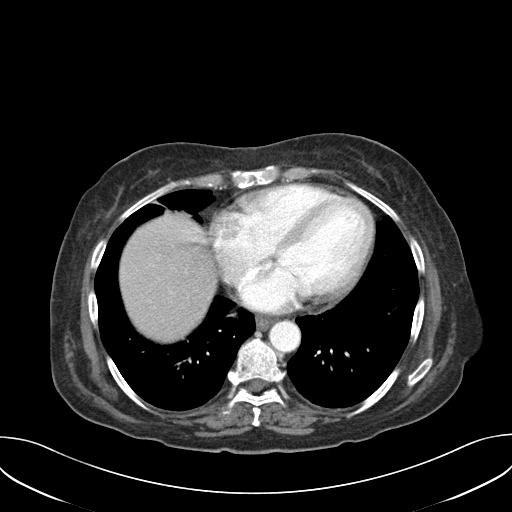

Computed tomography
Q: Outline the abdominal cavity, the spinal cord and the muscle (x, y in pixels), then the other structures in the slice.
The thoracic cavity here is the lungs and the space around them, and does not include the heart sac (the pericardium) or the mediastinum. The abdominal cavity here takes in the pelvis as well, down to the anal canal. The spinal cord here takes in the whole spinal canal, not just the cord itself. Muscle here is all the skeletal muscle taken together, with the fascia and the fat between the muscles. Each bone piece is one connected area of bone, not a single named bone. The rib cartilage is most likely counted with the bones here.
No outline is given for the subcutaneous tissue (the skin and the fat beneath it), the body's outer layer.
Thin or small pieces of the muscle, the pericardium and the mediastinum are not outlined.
A: The abdominal cavity is outlined by 168 210; 181 210; 186 212; 191 215; 196 222; 205 226; 207 249; 221 279; 219 281; 219 290; 221 293; 213 298; 205 317; 186 339; 170 344; 159 344; 141 335; 130 322; 120 293; 118 268; 124 245; 134 230; 148 220; 165 214. The spinal cord is outlined by 255 378; 259 378; 260 379; 262 379; 266 382; 266 385; 265 386; 265 387; 260 392; 258 392; 257 393; 254 393; 253 392; 251 392; 250 391; 249 391; 247 388; 247 383; 248 382; 248 381; 249 381; 252 379; 254 379. The muscle appears in 4 outlined pieces: piece 1: 395 210; 420 233; 438 271; 440 292; 443 291; 453 306; 456 326; 453 351; 446 365; 423 396; 386 415; 323 424; 303 435; 259 426; 262 405; 286 406; 290 394; 284 383; 296 396; 316 406; 342 409; 357 405; 345 414; 349 419; 379 401; 398 378; 401 368; 397 364; 408 342; 417 341; 424 319; 425 297; 419 293; 418 275; 425 273; 425 260; 417 239; 411 235; 408 243; 404 237, around a hole outlined by 428 357; 431 357; 432 358; 432 360; 433 361; 432 362; 432 365; 430 367; 428 371; 423 376; 423 377; 422 377; 414 385; 413 385; 411 387; 409 387; 406 383; 407 382; 407 378; 408 377; 408 375; 410 374; 423 360; 424 360; piece 2: 136 200; 119 215; 119 225; 110 237; 97 241; 90 258; 95 276; 87 294; 87 310; 105 348; 107 368; 127 397; 151 413; 154 412; 152 406; 170 411; 191 410; 205 405; 228 388; 221 413; 228 415; 239 402; 251 404; 253 427; 249 430; 205 437; 193 434; 188 426; 121 421; 95 406; 74 384; 65 357; 64 338; 68 329; 76 339; 80 335; 81 288; 87 256; 100 233; 126 205; piece 3: 323 169; 329 169; 330 170; 334 170; 338 173; 341 174; 345 178; 349 180; 346 180; 344 182; 344 185; 343 185; 341 183; 338 183; 331 179; 329 179; 325 177; 312 176; 314 175; 316 175; 319 173; 322 173; 324 172; 325 170; piece 4: 222 169; 231 169; 228 172; 228 174; 227 175; 227 179; 229 180; 229 181; 232 185; 228 185; 226 187; 223 187; 223 185; 226 181; 226 177; 225 176; 224 176; 221 173; 208 173; 211 173; 212 172; 214 172; 215 171; 218 171. The bones appear in 11 outlined pieces: piece 1: 254 338; 266 343; 275 353; 277 362; 286 371; 283 384; 289 394; 289 398; 284 400; 285 406; 278 402; 267 402; 259 407; 258 426; 252 424; 253 405; 249 402; 236 402; 228 414; 222 413; 230 387; 227 374; 234 367; 241 345, around a hole outlined by 255 378; 259 378; 260 379; 262 379; 266 382; 266 385; 265 386; 265 387; 260 392; 258 392; 257 393; 254 393; 253 392; 251 392; 250 391; 249 391; 247 388; 247 383; 248 382; 248 381; 249 381; 252 379; 254 379; piece 2: 272 164; 278 166; 281 169; 301 166; 306 168; 318 168; 324 171; 302 179; 294 179; 290 181; 278 179; 271 183; 263 185; 256 185; 245 188; 240 188; 234 186; 228 179; 228 175; 231 170; 241 170; 242 171; 257 170; 262 169; piece 3: 208 174; 221 174; 225 177; 222 188; 198 187; 192 184; 188 186; 178 186; 172 191; 158 197; 156 200; 157 203; 150 202; 145 204; 119 223; 118 219; 124 211; 140 198; 158 187; 170 181; 178 181; 183 179; 192 180; piece 4: 397 365; 399 366; 400 368; 400 372; 397 378; 395 380; 391 387; 386 392; 386 393; 373 405; 372 405; 364 411; 348 418; 346 416; 346 414; 356 408; 363 400; 364 400; 373 392; 374 392; 383 383; 383 382; 391 373; 393 369; piece 5: 107 352; 107 353; 114 362; 116 367; 118 369; 122 377; 126 381; 129 386; 144 401; 151 405; 151 409; 153 412; 147 411; 136 404; 130 398; 128 397; 128 396; 117 384; 114 378; 112 376; 108 368; 108 366; 106 363; 105 354; piece 6: 346 181; 353 182; 358 186; 367 190; 372 194; 375 195; 388 205; 389 205; 394 210; 394 211; 399 217; 399 221; 396 223; 387 214; 382 211; 381 209; 380 209; 369 200; 363 196; 360 195; 355 191; 347 187; 345 185; 345 182; piece 7: 419 294; 422 294; 424 297; 424 311; 423 312; 423 319; 422 320; 421 327; 420 328; 419 334; 417 337; 417 339; 414 343; 411 343; 409 342; 410 332; 411 331; 411 325; 413 320; 413 315; 414 314; 415 306; 417 303; piece 8: 428 357; 431 357; 432 358; 432 360; 433 361; 432 362; 432 365; 430 367; 428 371; 423 376; 423 377; 422 377; 414 385; 413 385; 411 387; 409 387; 406 383; 407 382; 407 378; 408 377; 408 375; 410 374; 423 360; 424 360; piece 9: 411 236; 415 238; 418 242; 421 248; 421 251; 423 255; 423 259; 424 260; 424 273; 420 275; 418 274; 417 268; 416 267; 416 264; 415 263; 415 261; 414 260; 414 258; 413 257; 413 255; 412 254; 412 252; 409 245; 409 238; piece 10: 91 288; 93 288; 94 289; 94 292; 95 293; 95 296; 96 297; 96 301; 97 302; 97 323; 98 324; 98 329; 95 329; 94 328; 89 316; 89 311; 88 310; 88 302; 87 301; 87 299; 88 298; 88 294; 89 293; 89 291; piece 11: 102 238; 107 238; 108 240; 107 241; 107 243; 106 244; 105 249; 103 252; 102 257; 98 265; 98 267; 96 271; 94 271; 91 268; 91 258; 92 257; 92 254; 93 253; 93 251; 94 250; 94 248; 96 244; 98 242; 98 241. The thoracic cavity appears in 2 outlined pieces: piece 1: 385 215; 396 224; 407 242; 417 272; 418 296; 407 344; 396 365; 382 383; 358 404; 342 408; 316 405; 296 395; 284 382; 287 363; 298 351; 302 341; 302 332; 296 323; 296 318; 318 315; 332 309; 356 286; 374 253; 376 223; piece 2: 187 188; 214 196; 198 213; 202 223; 168 209; 138 225; 123 245; 117 282; 127 318; 147 340; 174 344; 187 339; 221 294; 234 303; 233 317; 243 308; 255 327; 237 351; 223 393; 170 410; 144 400; 106 350; 94 284; 118 226. The torso is outlined by 322 132; 361 135; 399 152; 423 176; 456 230; 483 316; 484 337; 449 400; 420 420; 364 441; 261 455; 169 447; 128 436; 73 411; 55 390; 50 376; 49 300; 58 251; 83 193; 114 163; 150 145; 254 146. The mediastinum appears in 5 outlined pieces: piece 1: 373 243; 373 253; 365 270; 355 286; 340 301; 332 308; 318 314; 306 314; 295 318; 295 323; 301 332; 301 341; 285 367; 280 365; 276 353; 266 342; 258 337; 246 340; 256 327; 252 312; 273 316; 293 314; 352 288; piece 2: 228 186; 233 186; 240 189; 262 186; 236 193; 229 199; 226 199; 217 205; 211 207; 205 213; 205 224; 204 224; 199 213; 200 211; 212 203; 215 199; 215 196; 212 191; 209 189; 211 188; 219 190; 223 188; 226 188; piece 3: 310 177; 318 177; 319 178; 325 178; 331 180; 338 184; 341 184; 343 186; 345 186; 350 190; 355 192; 359 195; 351 191; 323 182; 318 182; 317 181; 300 181; 299 180; 297 181; 291 181; 294 180; 302 180; piece 4: 221 280; 221 281; 223 282; 227 287; 231 293; 231 295; 237 303; 240 306; 243 307; 240 307; 238 309; 238 312; 236 316; 233 316; 232 315; 232 310; 233 308; 235 307; 235 303; 232 300; 223 295; 222 292; 220 290; 220 281; piece 5: 360 196; 363 197; 365 199; 369 201; 372 204; 373 204; 376 207; 377 207; 380 210; 381 210; 381 211; 385 214; 379 221; 377 221; 376 222; 376 216; 372 208; 370 207; 370 206; 361 197; 360 197. The pericardium is outlined by 298 181; 323 183; 359 196; 371 208; 375 216; 375 241; 373 241; 365 254; 361 269; 352 287; 347 290; 293 313; 273 315; 252 311; 238 303; 220 277; 216 263; 208 249; 205 225; 206 213; 236 194; 261 188; 268 184.